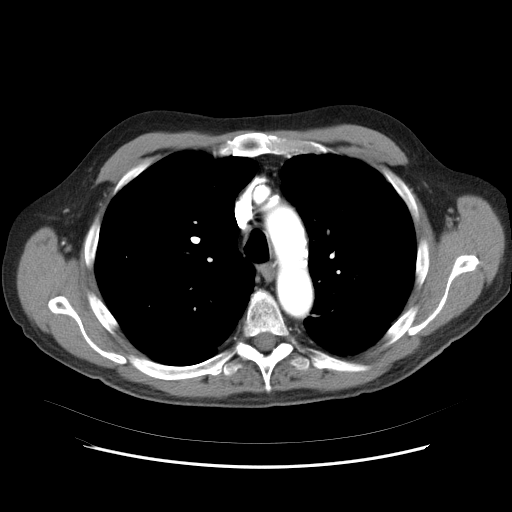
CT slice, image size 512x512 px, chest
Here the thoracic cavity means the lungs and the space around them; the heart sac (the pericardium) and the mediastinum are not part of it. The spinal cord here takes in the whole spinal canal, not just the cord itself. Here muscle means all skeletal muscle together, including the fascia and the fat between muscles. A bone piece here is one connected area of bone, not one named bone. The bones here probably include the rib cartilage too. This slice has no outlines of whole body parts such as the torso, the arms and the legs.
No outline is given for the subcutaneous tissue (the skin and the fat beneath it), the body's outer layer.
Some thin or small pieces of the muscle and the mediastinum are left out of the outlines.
The bones appear in 8 outlined pieces: piece 1: 259,289 271,294 302,345 369,366 298,369 290,363 295,349 273,367 268,392 259,367 240,357 241,367 230,375 152,377 128,361 101,355 71,316 48,307 51,298 64,296 88,337 105,351 189,366 234,342, around a hole outlined by 262,332 269,332 270,333 271,333 273,335 274,335 276,337 276,344 271,350 270,350 267,352 263,352 262,351 260,351 258,349 257,349 253,344 253,343 254,342 254,337 255,337 258,334 259,334; piece 2: 256,131 263,132 266,134 276,135 279,137 284,137 290,140 314,141 333,149 337,153 330,152 293,153 292,154 263,153 252,157 235,155 217,156 215,149 217,149 220,145 223,144 227,140 230,140 240,134; piece 3: 464,254 475,255 479,263 473,270 462,272 452,280 445,302 435,317 417,333 409,335 406,332 391,344 384,346 385,341 382,337 408,308 414,305 418,308 413,321 414,325 423,321 436,308 444,294 456,258; piece 4: 382,166 385,166 389,168 399,176 404,181 406,185 409,188 411,193 413,195 418,210 418,215 419,217 416,223 414,223 411,214 405,202 381,172 381,167; piece 5: 89,291 93,292 102,300 108,310 111,313 111,314 118,323 119,327 115,330 115,334 114,335 111,334 102,325 102,324 96,317 95,314 91,309 90,305 89,304 89,302 88,301 88,299 87,298 87,293; piece 6: 96,218 98,218 100,220 99,235 98,236 98,240 97,241 97,247 95,252 95,258 93,263 93,267 92,268 88,268 85,262 85,256 84,255 84,241 85,240 85,237 89,227; piece 7: 421,239 424,239 427,242 427,244 428,245 428,251 429,252 429,265 428,266 428,269 427,270 427,273 425,276 425,278 421,286 420,287 418,287 415,284 415,269 416,268 416,259 417,258 417,246 419,241; piece 8: 149,158 152,158 153,159 152,163 145,169 144,169 128,183 127,183 124,186 123,186 113,196 112,194 113,190 115,186 119,181 119,180 122,177 122,176 128,170 129,170 134,166 143,162 146,159 148,159. The thoracic cavity appears in 2 outlined pieces: piece 1: 184,150 210,152 214,157 247,157 257,164 254,175 237,193 233,207 238,228 237,248 253,267 254,285 242,323 229,346 197,363 169,365 147,357 128,339 103,301 94,263 101,223 112,198 149,166 170,154; piece 2: 328,153 355,158 382,174 404,202 413,222 417,244 414,283 402,312 380,339 351,355 333,354 297,337 304,330 304,320 312,314 315,300 315,290 308,267 310,240 296,206 282,191 280,171 286,161 293,156. The muscle appears in 4 outlined pieces: piece 1: 407,184 425,209 437,237 453,217 458,196 478,195 491,205 503,226 505,239 503,261 492,282 460,315 427,336 421,349 398,360 371,381 336,391 297,388 269,392 272,389 270,378 274,367 295,350 297,353 289,363 298,370 306,370 311,365 320,370 340,372 368,370 368,364 330,354 351,356 381,339 384,341 382,345 387,347 406,333 409,336 417,334 440,312 453,280 462,273 473,271 480,263 473,253 458,255 437,305 423,320 414,324 418,306 414,304 403,310 414,284 420,288 426,278 430,252 424,238 417,243 414,224 419,220 419,210; piece 2: 43,226 54,229 67,257 78,256 84,237 84,262 88,269 93,268 102,298 89,290 86,298 90,309 111,335 119,328 146,356 101,348 62,294 47,301 48,309 71,317 88,345 101,356 117,364 128,362 160,380 221,373 230,376 242,367 240,358 258,367 266,392 223,398 179,397 125,380 113,369 65,350 31,323 17,292 20,256 29,237; piece 3: 188,130 212,134 237,130 255,131 237,134 211,151 184,149 153,163 152,157 146,158 121,176 112,190 112,197 101,222 96,217 89,226 98,203 110,184 105,181 94,186 94,182 100,168 120,146 148,132; piece 4: 343,123 356,124 371,128 390,138 405,153 409,161 405,165 397,165 392,167 391,168 394,171 389,167 382,165 380,167 380,172 360,159 340,154 333,148 314,140 290,139 284,136 266,133 263,131 304,130. The mediastinum is outlined by 263,154 298,154 288,158 279,171 281,191 295,206 309,240 307,267 314,300 311,314 303,320 303,330 297,336 286,323 272,294 263,288 253,291 254,267 243,257 237,244 235,200 258,168 248,157. The spinal cord is outlined by 262,332 269,332 270,333 271,333 273,335 274,335 276,337 276,344 271,350 270,350 267,352 263,352 262,351 260,351 258,349 257,349 253,344 253,343 254,342 254,337 255,337 258,334 259,334.